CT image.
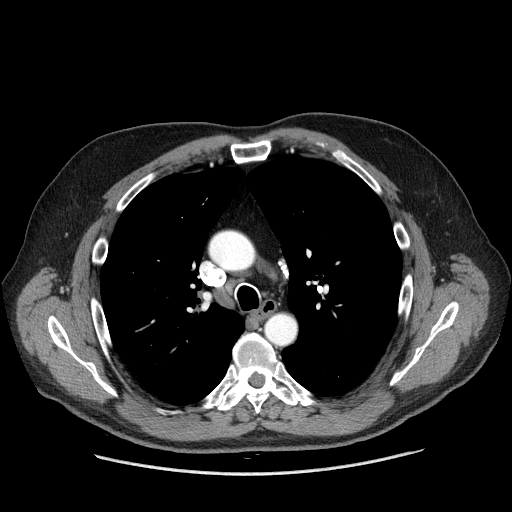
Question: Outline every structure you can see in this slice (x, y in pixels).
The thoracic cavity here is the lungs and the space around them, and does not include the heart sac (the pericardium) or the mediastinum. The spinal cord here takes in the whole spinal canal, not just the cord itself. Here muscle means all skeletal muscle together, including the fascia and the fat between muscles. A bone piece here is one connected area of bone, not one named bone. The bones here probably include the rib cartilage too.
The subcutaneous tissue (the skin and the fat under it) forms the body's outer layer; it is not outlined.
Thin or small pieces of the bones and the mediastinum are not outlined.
Answer: The muscle is outlined by 282 126; 300 126; 313 129; 341 140; 385 174; 399 188; 414 219; 437 247; 465 254; 484 273; 489 284; 490 294; 488 316; 478 338; 455 371; 373 425; 353 433; 304 436; 257 426; 238 437; 198 441; 164 439; 129 428; 85 401; 68 395; 43 377; 32 363; 20 339; 15 319; 16 300; 24 285; 41 268; 58 259; 84 234; 95 220; 103 194; 133 170; 192 139; 228 133; 247 140 with holes at 263 138; 271 153; 300 147; 336 163; 330 152; 340 148; 377 181; 390 221; 401 221; 409 237; 401 252; 401 275; 410 273; 413 285; 407 321; 397 318; 364 382; 316 395; 318 405; 290 405; 271 393; 257 414; 245 396; 227 410; 164 403; 133 380; 113 347; 111 364; 101 348; 90 307; 92 296; 101 301; 94 243; 110 239; 118 201; 147 173; 156 171; 155 181; 230 157; 232 142 and at 50 315; 53 315; 65 330; 68 336; 70 345; 76 355; 84 361; 92 362; 94 364; 100 377; 115 389; 118 394; 118 397; 114 397; 106 391; 95 380; 92 374; 82 364; 77 361; 67 351; 55 344; 48 331; 47 326; 47 321 and at 454 300; 456 301; 458 304; 458 311; 451 325; 439 331; 424 349; 418 360; 394 385; 390 386; 389 385; 389 382; 393 374; 396 371; 402 369; 412 359; 416 348; 422 345; 428 338; 432 326; 437 321; 444 308; 451 301 and at 154 407; 161 407; 162 408; 164 408; 165 409; 179 409; 180 410; 181 410; 182 411; 182 412; 181 413; 178 413; 177 414; 168 414; 167 415; 163 415; 162 414; 161 414; 160 413; 158 413; 157 412; 156 412; 154 410 and at 314 140; 321 140; 322 141; 324 141; 325 142; 326 142; 328 144; 328 146; 327 147; 326 147; 325 148; 322 148; 321 147; 320 147; 319 146; 317 146; 314 143. The bones appear in 11 outlined pieces: piece 1: 247 332; 256 332; 271 345; 288 373; 315 396; 319 402; 318 405; 305 406; 299 403; 290 405; 271 393; 262 403; 257 414; 245 396; 227 410; 220 410; 216 407; 205 410; 198 409; 200 401; 224 377; 232 362; 233 346; 240 336 with a hole at 255 372; 256 372; 257 373; 258 373; 259 374; 261 374; 264 377; 264 382; 263 383; 263 384; 261 386; 260 386; 259 387; 255 387; 254 386; 253 386; 252 385; 251 385; 250 384; 250 383; 249 382; 249 379; 250 378; 250 377; piece 2: 50 315; 53 315; 65 330; 68 336; 70 345; 76 355; 84 361; 92 362; 94 364; 100 377; 115 389; 118 394; 118 397; 114 397; 106 391; 95 380; 92 374; 82 364; 77 361; 67 351; 55 344; 48 331; 47 326; 47 321; piece 3: 454 300; 456 301; 458 304; 458 311; 451 325; 439 331; 424 349; 418 360; 394 385; 390 386; 389 385; 389 382; 393 374; 396 371; 402 369; 412 359; 416 348; 422 345; 428 338; 432 326; 437 321; 444 308; 451 301; piece 4: 263 138; 268 138; 270 139; 272 143; 271 151; 267 154; 267 156; 268 157; 265 160; 260 162; 247 162; 246 163; 242 163; 241 164; 238 164; 236 161; 232 160; 231 155; 230 154; 230 144; 232 142; 251 142; 252 141; 259 140; piece 5: 92 296; 95 296; 101 303; 102 309; 105 317; 105 321; 113 345; 113 347; 109 350; 110 351; 110 356; 111 357; 111 364; 107 360; 101 348; 94 327; 94 324; 92 319; 92 314; 91 313; 91 308; 90 307; 90 299; piece 6: 335 148; 340 148; 342 149; 349 156; 350 156; 354 160; 355 160; 363 167; 364 167; 371 174; 371 175; 377 181; 382 190; 382 194; 381 196; 379 196; 357 174; 356 174; 347 167; 339 163; 331 155; 330 153; 331 150; piece 7: 407 273; 410 273; 412 276; 413 294; 411 300; 411 307; 410 308; 409 315; 407 321; 405 322; 401 316; 398 317; 397 315; 397 311; 398 310; 399 295; 400 294; 400 289; 401 288; 402 280; 403 277; piece 8: 151 171; 156 171; 157 172; 157 175; 155 177; 153 181; 152 181; 144 188; 143 188; 131 200; 131 201; 119 214; 117 213; 115 210; 115 208; 117 205; 118 201; 124 194; 124 193; 137 180; 138 180; 141 177; 142 177; 144 175; piece 9: 101 235; 104 235; 107 238; 108 240; 108 245; 107 246; 107 253; 106 254; 105 260; 102 264; 102 265; 101 266; 99 266; 98 265; 93 264; 92 262; 92 251; 93 250; 93 246; 94 245; 95 241; 98 238; 98 237; piece 10: 395 220; 399 220; 402 222; 408 234; 408 236; 409 237; 409 247; 408 249; 406 250; 403 250; 401 251; 396 241; 396 239; 394 235; 394 232; 393 231; 393 226; 392 225; 392 223; piece 11: 154 407; 161 407; 162 408; 164 408; 165 409; 179 409; 180 410; 181 410; 182 411; 182 412; 181 413; 178 413; 177 414; 168 414; 167 415; 163 415; 162 414; 161 414; 160 413; 158 413; 157 412; 156 412; 154 410. The thoracic cavity appears in 2 outlined pieces: piece 1: 302 150; 347 168; 381 199; 401 252; 402 279; 398 295; 397 319; 387 346; 368 378; 353 390; 340 395; 315 395; 289 373; 281 360; 282 351; 296 342; 300 328; 296 316; 288 305; 289 271; 280 241; 246 181; 249 172; 268 158; piece 2: 238 165; 242 169; 241 180; 207 234; 198 277; 215 302; 243 318; 244 329; 232 346; 231 362; 213 389; 195 403; 181 406; 164 403; 133 380; 114 350; 100 292; 100 270; 107 257; 109 240; 119 215; 152 182; 189 166; 204 169. The torso is outlined by 311 111; 359 115; 398 126; 430 149; 457 180; 510 273; 499 335; 481 368; 436 405; 386 433; 344 447; 309 451; 192 454; 142 447; 44 397; 12 335; 2 280; 21 247; 34 204; 66 161; 97 136; 135 125; 168 121; 260 125. The mediastinum appears in 2 outlined pieces: piece 1: 247 163; 259 163; 248 172; 245 181; 279 241; 288 271; 287 305; 295 316; 299 328; 295 342; 281 351; 280 358; 272 345; 259 333; 244 332; 244 318; 215 301; 199 277; 199 266; 208 234; 231 203; 242 180; 243 169; 239 165; piece 2: 227 156; 229 156; 232 161; 236 162; 237 163; 237 165; 233 167; 231 167; 229 165; 215 165; 214 166; 211 166; 210 167; 205 167; 204 168; 191 168; 190 167; 190 165; 191 164; 197 161; 200 161; 204 159; 220 159. The spinal cord is outlined by 255 372; 256 372; 257 373; 258 373; 259 374; 261 374; 264 377; 264 382; 263 383; 263 384; 261 386; 260 386; 259 387; 255 387; 254 386; 253 386; 252 385; 251 385; 250 384; 250 383; 249 382; 249 379; 250 378; 250 377.